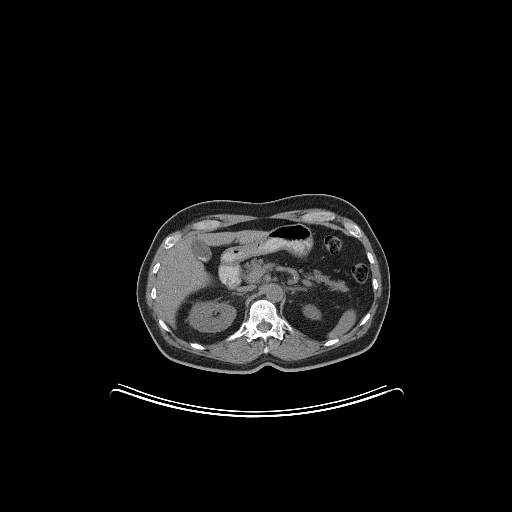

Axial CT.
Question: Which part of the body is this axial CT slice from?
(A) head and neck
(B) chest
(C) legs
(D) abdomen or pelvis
Answer: (D) abdomen or pelvis
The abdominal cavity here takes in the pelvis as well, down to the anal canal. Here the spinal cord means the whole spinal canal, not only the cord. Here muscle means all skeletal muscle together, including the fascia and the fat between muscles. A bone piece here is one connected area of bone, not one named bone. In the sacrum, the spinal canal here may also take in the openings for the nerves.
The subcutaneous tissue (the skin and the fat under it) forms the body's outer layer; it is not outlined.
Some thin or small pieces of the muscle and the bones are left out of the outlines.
{"muscle":[[[362,230],[368,238],[378,260],[382,283],[382,294],[371,325],[367,331],[362,336],[328,351],[298,360],[287,361],[268,354],[269,347],[266,345],[262,350],[263,354],[249,362],[237,364],[221,361],[198,355],[169,344],[161,335],[156,322],[147,307],[145,293],[148,271],[154,255],[163,240],[163,248],[166,251],[161,262],[157,261],[153,265],[151,271],[153,274],[155,274],[155,285],[152,286],[149,295],[153,300],[155,300],[157,309],[161,316],[157,322],[159,326],[166,332],[169,333],[171,330],[178,337],[189,342],[189,345],[197,350],[204,350],[206,348],[202,344],[212,344],[224,339],[228,342],[241,336],[245,336],[248,343],[258,338],[261,338],[266,342],[270,337],[281,341],[284,338],[286,331],[291,334],[296,331],[309,340],[324,341],[322,344],[324,347],[331,346],[339,341],[340,336],[349,332],[357,324],[362,326],[371,316],[368,310],[372,303],[373,292],[378,288],[378,281],[375,277],[372,277],[370,267],[370,265],[374,263],[374,257],[370,251],[366,251],[359,239],[363,235]],[[306,208],[321,208],[329,210],[314,210],[304,213],[300,217],[301,220],[298,219],[291,220],[283,218],[262,218],[261,219],[242,221],[231,225],[221,226],[222,223],[219,220],[211,218],[193,222],[191,226],[194,230],[190,231],[189,233],[187,233],[183,236],[180,232],[168,235],[170,233],[182,228],[186,224],[191,222],[194,218],[209,214],[241,214],[253,216],[266,216],[279,212],[296,209],[305,209]],[[330,211],[332,211],[341,216],[347,217],[351,219],[354,222],[351,222],[350,221],[345,220],[342,223],[342,225],[345,229],[345,230],[338,226],[335,226],[332,224],[327,223],[325,222],[329,222],[330,221],[333,221],[336,217],[336,215],[333,212]]],"abdominal_cavity":[[[262,219],[326,223],[358,239],[365,250],[371,271],[373,291],[367,311],[349,331],[338,337],[314,340],[295,330],[270,300],[257,298],[249,305],[246,320],[221,340],[200,343],[178,336],[162,318],[156,302],[156,274],[167,250],[195,230],[209,231]]],"torso":[[[310,193],[337,196],[353,204],[364,215],[383,248],[389,267],[390,294],[385,317],[372,345],[353,357],[303,371],[282,371],[265,365],[252,373],[219,373],[183,365],[166,357],[152,339],[136,299],[140,266],[160,226],[179,210],[207,200],[267,202]]],"spinal_cord":[[[263,321],[264,322],[267,322],[268,323],[269,323],[271,325],[271,326],[270,327],[270,328],[267,331],[266,331],[265,332],[263,332],[262,331],[261,331],[260,330],[259,330],[258,329],[258,328],[257,327],[257,326],[261,322],[262,322]]],"bones":[{"outer":[[257,299],[266,299],[270,301],[276,307],[278,314],[293,328],[294,332],[291,333],[286,330],[281,340],[270,336],[266,341],[261,337],[258,337],[248,342],[245,335],[241,335],[228,341],[225,340],[228,336],[235,332],[243,322],[247,320],[250,305]],"hole":[[263,321],[264,322],[267,322],[268,323],[269,323],[271,325],[271,326],[270,327],[270,328],[267,331],[266,331],[265,332],[263,332],[262,331],[261,331],[260,330],[259,330],[258,329],[258,328],[257,327],[257,326],[261,322],[262,322]]},[[314,211],[329,211],[330,212],[333,213],[335,215],[335,217],[333,220],[330,220],[329,221],[325,221],[324,222],[308,222],[307,221],[304,221],[303,220],[302,220],[302,218],[301,217],[304,214],[306,214],[307,213],[309,213],[310,212],[313,212]],[[211,219],[213,220],[217,220],[219,221],[221,223],[219,227],[217,227],[213,229],[210,229],[209,230],[203,230],[202,229],[200,230],[197,230],[196,229],[194,229],[192,226],[193,223],[195,223],[199,221],[204,221],[205,220],[210,220]],[[345,221],[347,221],[348,222],[350,222],[351,223],[354,223],[355,224],[356,224],[360,228],[360,229],[362,232],[362,235],[359,238],[357,238],[356,237],[353,236],[349,232],[348,232],[346,230],[346,229],[344,227],[344,226],[343,225],[343,223]],[[177,233],[180,233],[180,234],[181,235],[181,237],[171,247],[170,247],[168,249],[165,249],[164,248],[164,239],[167,236],[171,236],[172,235],[174,235],[175,234],[176,234]],[[333,338],[338,338],[339,339],[338,340],[338,341],[337,342],[336,342],[335,343],[334,343],[333,344],[332,344],[331,345],[328,345],[327,346],[324,346],[323,345],[323,344],[325,342],[325,341],[326,340],[328,340],[329,339],[332,339]],[[190,342],[196,342],[197,343],[199,343],[200,344],[201,344],[202,345],[203,345],[205,347],[205,348],[204,349],[197,349],[196,348],[194,348],[193,347],[192,347],[190,345]],[[160,318],[161,319],[162,319],[163,320],[163,321],[167,325],[167,326],[170,329],[170,331],[169,332],[168,331],[166,331],[163,328],[162,328],[160,326],[160,325],[159,324],[159,323],[158,322],[158,321],[159,320],[159,319]],[[367,312],[368,312],[370,314],[370,316],[368,318],[368,319],[362,325],[359,325],[359,322],[360,321],[360,320],[364,316],[364,315]],[[366,252],[370,252],[371,253],[371,254],[372,255],[372,256],[373,257],[373,263],[372,264],[371,264],[369,262],[369,261],[368,260],[368,258],[367,257],[367,255],[366,254]],[[157,262],[159,262],[160,263],[160,265],[159,266],[159,268],[158,269],[158,270],[157,271],[157,272],[156,273],[153,273],[153,272],[152,271],[153,270],[153,268],[154,267],[154,265]]]}